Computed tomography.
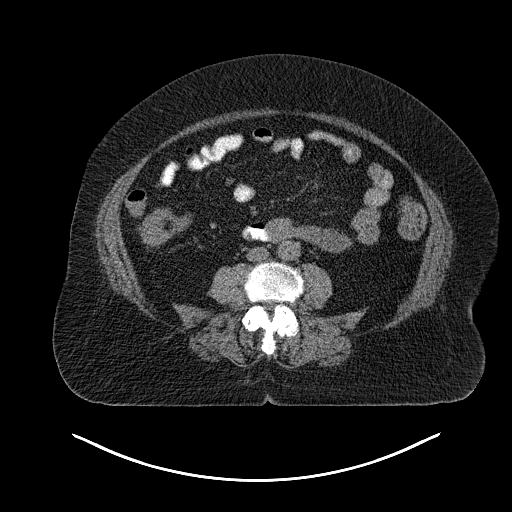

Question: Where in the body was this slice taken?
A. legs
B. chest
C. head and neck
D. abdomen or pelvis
Answer: D. abdomen or pelvis
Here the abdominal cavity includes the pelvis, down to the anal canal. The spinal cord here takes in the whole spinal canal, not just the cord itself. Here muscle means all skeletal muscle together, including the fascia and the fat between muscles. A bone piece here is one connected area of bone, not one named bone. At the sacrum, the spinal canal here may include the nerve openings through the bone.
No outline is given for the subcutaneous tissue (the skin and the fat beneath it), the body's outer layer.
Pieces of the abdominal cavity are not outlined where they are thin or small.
{"bones":[{"outer":[[270,261],[298,268],[304,280],[304,291],[289,306],[298,321],[298,332],[290,337],[286,335],[281,337],[275,333],[275,350],[271,355],[267,355],[261,350],[264,330],[260,327],[255,331],[248,331],[241,320],[252,304],[243,288],[245,275],[256,264]],"hole":[[269,301],[274,301],[275,302],[276,302],[276,304],[274,306],[274,308],[273,309],[273,311],[272,312],[272,313],[270,313],[269,312],[268,312],[266,310],[265,310],[265,308],[264,307],[264,306],[262,304],[262,303],[263,303],[264,302],[268,302]]}],"torso":[[[273,52],[343,62],[398,85],[436,113],[483,169],[500,225],[497,255],[473,306],[485,366],[464,399],[398,406],[279,406],[268,401],[261,406],[120,406],[85,400],[62,379],[52,349],[53,317],[80,182],[93,149],[122,115],[168,82],[211,63]]],"abdominal_cavity":[[[277,114],[313,118],[361,136],[413,177],[430,227],[415,282],[391,319],[364,319],[366,307],[316,311],[333,287],[328,272],[312,262],[299,268],[275,260],[219,267],[206,294],[227,312],[172,302],[172,315],[139,283],[120,209],[148,160],[196,131]]],"spinal_cord":[[[269,301],[274,301],[275,302],[276,302],[276,304],[274,306],[274,308],[273,309],[273,311],[272,312],[272,313],[270,313],[269,312],[268,312],[266,310],[265,310],[265,308],[264,307],[264,306],[262,304],[262,303],[263,303],[264,302],[268,302]]],"muscle":[{"outer":[[267,107],[280,110],[301,110],[306,112],[312,111],[330,114],[338,117],[343,117],[371,131],[395,149],[436,193],[443,204],[446,215],[453,231],[454,241],[452,246],[452,254],[449,267],[445,272],[444,280],[442,282],[440,290],[437,293],[434,303],[428,308],[424,308],[413,313],[411,316],[403,322],[401,322],[396,327],[370,333],[365,337],[361,337],[357,340],[357,345],[355,347],[355,351],[353,354],[345,362],[337,366],[321,367],[316,370],[304,370],[299,367],[289,369],[277,364],[272,360],[267,361],[265,359],[262,359],[246,368],[219,367],[211,364],[208,361],[200,360],[195,354],[190,353],[186,347],[186,344],[182,341],[180,335],[174,333],[173,328],[165,325],[160,321],[156,321],[148,317],[121,294],[114,293],[109,285],[106,274],[102,270],[103,266],[100,263],[97,252],[96,238],[94,235],[94,222],[98,212],[98,208],[116,179],[124,173],[130,166],[135,164],[140,158],[150,150],[155,148],[169,136],[175,134],[186,126],[205,118],[212,117],[225,112],[244,109],[261,109]],"hole":[[277,114],[341,127],[397,159],[417,185],[430,227],[415,282],[386,321],[364,319],[366,307],[327,315],[316,311],[332,295],[332,280],[322,267],[303,263],[304,291],[289,306],[299,330],[290,337],[275,333],[275,350],[267,355],[261,350],[264,330],[248,331],[241,321],[252,304],[243,288],[249,264],[223,265],[213,275],[206,294],[227,312],[172,302],[172,315],[139,283],[120,209],[144,165],[166,146],[219,124]]}]}